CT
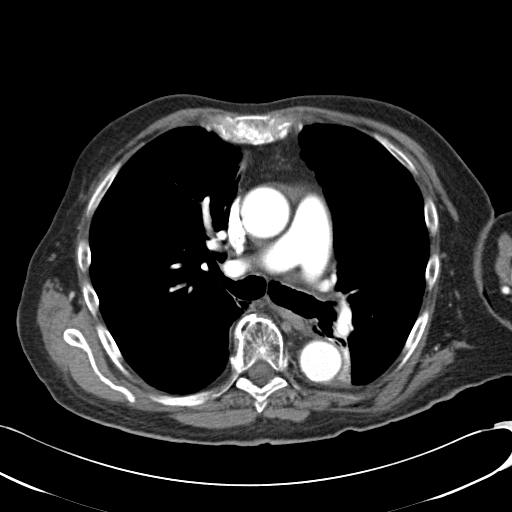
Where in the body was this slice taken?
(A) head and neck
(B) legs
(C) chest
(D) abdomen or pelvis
Answer: (C) chest
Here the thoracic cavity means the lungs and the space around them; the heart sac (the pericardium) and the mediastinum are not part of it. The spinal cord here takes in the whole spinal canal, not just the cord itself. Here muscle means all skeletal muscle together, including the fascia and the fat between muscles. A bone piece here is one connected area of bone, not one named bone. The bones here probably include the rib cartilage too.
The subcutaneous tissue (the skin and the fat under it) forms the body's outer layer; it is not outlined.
{"muscle":[{"outer":[[298,105],[383,122],[424,149],[458,216],[455,221],[445,207],[438,212],[442,265],[428,339],[464,340],[474,347],[411,397],[373,415],[312,411],[301,422],[258,416],[247,425],[211,429],[183,424],[159,412],[106,404],[71,388],[50,358],[36,321],[42,286],[48,278],[57,278],[66,293],[79,291],[75,239],[91,183],[134,136],[154,121],[189,107],[248,114],[209,114],[201,124],[164,131],[125,163],[118,160],[86,206],[85,214],[91,218],[88,240],[78,242],[76,259],[83,273],[88,270],[90,281],[83,281],[81,292],[91,315],[101,314],[104,324],[98,322],[95,330],[111,361],[129,378],[124,360],[147,384],[166,393],[147,395],[162,405],[202,405],[234,386],[254,399],[258,413],[273,392],[290,384],[300,390],[296,377],[347,391],[378,378],[400,354],[394,370],[405,364],[428,322],[429,311],[420,312],[425,288],[433,288],[440,270],[439,255],[430,254],[429,239],[438,230],[436,205],[431,197],[423,198],[412,161],[378,132],[370,135],[349,125],[303,121],[290,113],[256,113]],"hole":[[67,328],[75,328],[81,332],[91,350],[96,366],[99,371],[115,385],[123,386],[129,390],[133,394],[135,398],[134,402],[129,401],[122,392],[113,389],[100,379],[92,368],[88,355],[83,349],[77,346],[70,345],[64,340],[63,338],[63,332]]},[[503,231],[506,231],[511,234],[511,300],[510,300],[508,298],[505,297],[504,296],[504,295],[500,291],[500,290],[499,289],[499,277],[494,269],[494,260],[495,259],[495,257],[498,252],[498,248],[497,247],[497,238],[500,234],[500,233],[501,233]],[[226,371],[228,371],[228,373],[227,374],[227,375],[226,376],[226,377],[221,382],[220,382],[218,384],[217,384],[216,385],[215,385],[214,386],[212,386],[211,387],[209,387],[208,388],[207,388],[210,385],[211,385],[218,378],[219,378]]],"mediastinum":[[[301,121],[307,122],[298,133],[300,155],[314,171],[331,213],[337,262],[333,291],[319,303],[316,319],[342,355],[342,368],[321,384],[305,382],[291,371],[279,327],[269,316],[245,313],[249,303],[240,297],[224,269],[242,155],[236,145],[282,140]]],"spinal_cord":[[[258,360],[263,360],[265,362],[266,362],[271,367],[271,368],[274,372],[274,374],[273,375],[273,376],[268,381],[267,381],[265,383],[264,383],[261,385],[259,385],[255,382],[254,382],[249,377],[249,376],[248,375],[248,371],[249,370],[249,369]]],"left_arm":[[[508,210],[511,210],[511,324],[497,310],[494,303],[492,301],[488,292],[485,288],[485,242],[486,241],[486,239],[488,236],[489,231],[491,228],[491,226],[493,223],[493,221],[494,220],[495,217],[496,217],[499,214],[500,214],[505,211],[507,211]]],"bones":[{"outer":[[248,313],[269,317],[278,327],[283,349],[289,356],[289,369],[300,389],[290,383],[273,391],[261,412],[255,407],[255,399],[234,385],[218,397],[194,406],[165,405],[149,397],[150,393],[188,395],[221,383],[229,373],[229,358],[235,353],[232,330]],"hole":[[258,360],[263,360],[265,362],[266,362],[271,367],[271,368],[274,372],[274,374],[273,375],[273,376],[268,381],[267,381],[265,383],[264,383],[261,385],[259,385],[255,382],[254,382],[249,377],[249,376],[248,375],[248,371],[249,370],[249,369]]},[[249,114],[268,114],[271,116],[277,114],[279,115],[290,114],[294,117],[300,117],[302,120],[296,122],[287,135],[282,139],[261,144],[234,144],[223,140],[215,132],[208,131],[201,125],[207,121],[209,115],[213,116],[228,115],[234,117],[238,115]],[[67,328],[75,328],[81,332],[91,350],[96,366],[99,371],[115,385],[123,386],[129,390],[133,394],[135,398],[134,402],[129,401],[122,392],[113,389],[100,379],[92,368],[88,355],[83,349],[77,346],[70,345],[64,340],[63,338],[63,332]],[[425,309],[428,311],[428,318],[427,319],[427,322],[424,327],[423,332],[420,337],[420,339],[415,348],[413,350],[412,353],[408,359],[404,363],[404,364],[398,370],[395,370],[402,356],[401,354],[401,351],[416,321],[416,319],[418,317],[419,314]],[[98,323],[101,323],[105,325],[111,336],[113,338],[117,347],[119,349],[123,357],[123,360],[121,362],[130,374],[130,376],[129,377],[128,376],[126,376],[118,368],[118,367],[112,361],[106,352],[98,336],[98,334],[96,330],[96,325]],[[118,161],[121,161],[122,162],[122,165],[121,167],[117,172],[116,175],[111,182],[109,187],[99,202],[92,216],[91,217],[88,217],[86,214],[87,206],[93,193],[95,191],[96,188],[100,182],[104,178],[106,174],[109,171],[109,170]],[[375,132],[387,138],[396,147],[397,147],[411,161],[411,162],[413,164],[413,165],[415,167],[417,171],[417,174],[415,175],[413,175],[411,173],[411,172],[405,166],[404,166],[380,142],[379,142],[375,138],[374,138],[372,136],[372,134]],[[427,197],[431,198],[431,199],[433,201],[435,205],[436,211],[437,212],[437,217],[438,218],[438,225],[437,226],[437,230],[434,235],[431,235],[429,233],[429,231],[427,228],[426,222],[425,221],[425,214],[424,213],[424,200],[425,198]],[[432,253],[437,253],[438,255],[438,257],[439,258],[439,270],[438,271],[438,275],[436,278],[436,280],[432,288],[430,290],[428,290],[427,289],[427,286],[426,285],[425,274],[426,273],[426,267],[427,266],[427,263],[428,262],[429,257]],[[86,280],[91,283],[93,287],[93,289],[95,291],[95,293],[97,296],[97,298],[99,302],[98,311],[96,313],[96,315],[95,316],[93,316],[92,315],[91,312],[89,310],[86,304],[86,302],[83,296],[83,293],[82,292],[82,286],[84,281]],[[82,239],[85,239],[88,241],[88,244],[89,245],[89,249],[90,250],[90,264],[89,265],[89,267],[88,269],[84,272],[83,272],[80,269],[79,267],[79,265],[78,264],[78,260],[77,259],[77,247],[78,246],[78,244],[79,242]]],"torso":[[[173,93],[233,102],[304,94],[359,95],[401,106],[432,125],[482,184],[497,215],[484,242],[484,288],[511,325],[511,375],[468,387],[429,409],[380,427],[283,445],[152,439],[90,421],[57,403],[31,367],[16,331],[29,260],[90,139],[116,117]]],"thoracic_cavity":[[[187,125],[200,125],[235,145],[240,152],[235,176],[237,189],[229,208],[227,257],[223,269],[248,306],[231,330],[234,353],[228,358],[229,369],[204,389],[176,395],[147,383],[124,359],[106,326],[89,272],[89,233],[92,217],[122,166],[154,138]],[[309,122],[349,126],[380,143],[412,175],[423,199],[428,231],[425,287],[419,313],[400,353],[378,377],[347,390],[319,385],[341,373],[343,355],[334,340],[322,331],[317,319],[320,303],[334,291],[338,262],[332,213],[315,171],[301,155],[299,133]]]}